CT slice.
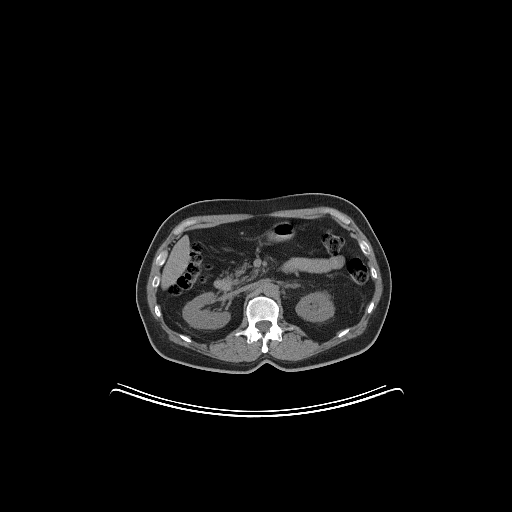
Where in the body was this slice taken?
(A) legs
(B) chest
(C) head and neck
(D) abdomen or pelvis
Answer: (D) abdomen or pelvis
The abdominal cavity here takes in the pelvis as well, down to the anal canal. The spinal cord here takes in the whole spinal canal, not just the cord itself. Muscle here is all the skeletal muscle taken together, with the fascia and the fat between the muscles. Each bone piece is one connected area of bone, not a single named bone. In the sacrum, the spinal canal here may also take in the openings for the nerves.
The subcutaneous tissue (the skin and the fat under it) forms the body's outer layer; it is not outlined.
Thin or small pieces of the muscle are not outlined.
{"spinal_cord":[[[260,321],[269,321],[270,322],[270,326],[268,328],[268,329],[266,331],[265,331],[264,332],[262,332],[261,331],[260,331],[258,329],[258,328],[256,326],[256,323],[257,322],[259,322]]],"abdominal_cavity":[[[257,217],[328,217],[350,232],[367,258],[373,280],[370,300],[355,323],[318,341],[299,326],[287,321],[283,309],[273,298],[260,294],[247,301],[236,328],[208,343],[193,339],[168,325],[158,303],[157,292],[161,267],[172,243],[188,230]]],"torso":[[[307,192],[332,194],[355,204],[367,218],[384,250],[391,272],[391,298],[374,342],[358,355],[302,371],[284,371],[264,363],[249,373],[221,373],[183,365],[159,355],[149,342],[138,311],[136,280],[144,255],[162,222],[175,210],[200,200],[265,198]]],"muscle":[{"outer":[[318,206],[331,207],[337,209],[351,217],[366,236],[374,251],[374,254],[380,269],[380,273],[382,279],[382,293],[379,302],[375,310],[370,316],[368,320],[368,323],[365,330],[361,334],[356,337],[341,342],[317,354],[296,361],[290,361],[289,360],[278,359],[273,357],[269,354],[266,355],[263,354],[255,360],[252,361],[242,361],[241,362],[230,362],[229,361],[224,361],[223,360],[220,360],[202,354],[192,349],[179,345],[176,343],[172,342],[168,339],[166,333],[153,318],[150,312],[148,306],[148,303],[147,302],[146,285],[147,284],[147,280],[149,276],[149,273],[151,269],[151,264],[154,258],[155,253],[159,246],[176,225],[177,225],[182,220],[188,217],[197,216],[198,215],[231,214],[232,213],[250,213],[251,214],[256,214],[257,213],[267,213],[268,212],[272,212],[277,210],[284,210],[285,209],[299,209],[300,208],[311,208],[312,207],[317,207]],"holes":[[[257,217],[328,217],[348,230],[357,241],[366,241],[370,246],[370,252],[365,256],[367,263],[374,267],[377,274],[370,298],[374,305],[372,311],[368,313],[365,308],[344,335],[338,337],[338,330],[329,338],[318,341],[299,326],[287,321],[280,307],[278,325],[292,329],[284,330],[280,341],[269,339],[265,353],[261,351],[260,339],[248,343],[244,335],[235,335],[248,325],[244,312],[239,325],[223,337],[208,343],[192,338],[190,342],[182,339],[162,314],[160,317],[155,314],[158,288],[152,286],[152,280],[154,276],[160,275],[161,270],[155,263],[156,257],[162,251],[169,251],[181,234],[175,234],[174,230],[185,221],[195,222],[186,226],[182,231],[184,232]],[[330,210],[334,210],[335,211],[337,211],[338,212],[339,212],[341,214],[342,214],[349,220],[349,223],[348,224],[346,224],[345,223],[342,222],[340,220],[339,220],[336,217],[335,217],[334,216],[333,216],[331,214],[330,214],[329,213],[329,211]]]}],"bones":[{"outer":[[260,295],[273,299],[279,306],[278,325],[282,328],[292,327],[292,329],[282,332],[280,341],[269,339],[267,341],[268,349],[265,353],[261,351],[262,341],[260,339],[248,343],[244,335],[235,335],[236,332],[243,330],[248,325],[245,313],[248,301]],"hole":[[260,321],[269,321],[270,322],[270,326],[268,328],[268,329],[266,331],[265,331],[264,332],[262,332],[261,331],[260,331],[258,329],[258,328],[256,326],[256,323],[257,322],[259,322]]},[[330,210],[334,210],[335,211],[337,211],[338,212],[339,212],[341,214],[342,214],[349,220],[349,223],[348,224],[346,224],[345,223],[342,222],[340,220],[339,220],[336,217],[335,217],[334,216],[333,216],[331,214],[330,214],[329,213],[329,211]],[[359,240],[364,240],[365,241],[366,241],[368,243],[368,244],[370,246],[370,252],[367,255],[365,255],[362,252],[362,251],[361,250],[361,249],[360,248],[360,247],[359,246],[359,244],[358,243],[358,241]],[[188,220],[193,220],[194,221],[195,221],[195,222],[194,223],[192,223],[191,224],[186,226],[184,228],[184,229],[180,233],[178,233],[177,234],[175,234],[174,233],[174,230],[176,228],[176,227],[177,227],[180,224],[183,223],[185,221],[187,221]],[[162,251],[166,251],[166,252],[167,253],[167,255],[166,256],[166,257],[165,258],[165,261],[163,263],[163,264],[161,266],[159,266],[158,265],[157,265],[155,263],[155,259],[156,258],[156,257]],[[156,275],[158,275],[159,276],[159,284],[158,285],[158,286],[157,287],[153,287],[152,286],[152,280],[153,279],[153,278],[154,277],[154,276],[155,276]],[[370,266],[372,266],[373,267],[374,267],[374,268],[375,269],[375,270],[376,271],[376,273],[377,274],[377,276],[376,277],[376,278],[375,278],[374,279],[373,279],[372,278],[372,276],[371,275],[371,273],[370,272]],[[370,301],[372,301],[373,302],[373,304],[374,305],[374,306],[373,307],[373,309],[372,310],[372,311],[370,313],[368,313],[366,311],[366,309],[367,308],[367,307],[368,306],[368,304],[369,303],[369,302]],[[157,304],[159,306],[159,308],[160,309],[160,310],[161,311],[161,316],[160,317],[158,317],[155,314],[155,310],[154,309],[154,307],[155,306],[155,305],[156,305]],[[348,327],[349,328],[349,330],[348,331],[348,332],[347,333],[346,333],[344,335],[343,335],[342,336],[341,336],[340,337],[338,337],[337,336],[337,335],[338,334],[338,333],[340,331],[341,331],[343,329],[344,329],[345,328],[347,328]],[[180,334],[183,334],[184,335],[186,335],[187,336],[188,336],[191,339],[191,341],[190,342],[188,342],[187,341],[186,341],[185,340],[184,340],[183,339],[182,339],[180,337],[180,336],[179,335]]]}